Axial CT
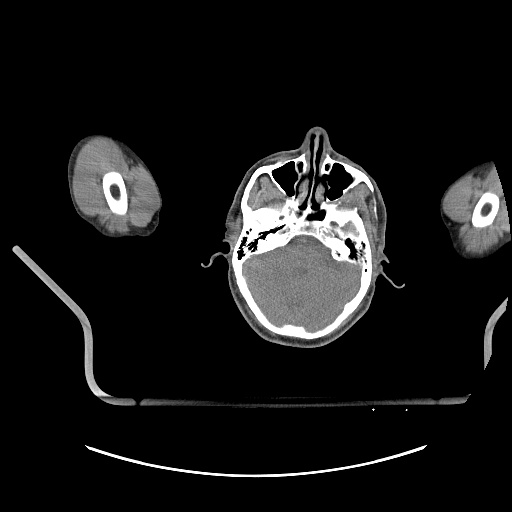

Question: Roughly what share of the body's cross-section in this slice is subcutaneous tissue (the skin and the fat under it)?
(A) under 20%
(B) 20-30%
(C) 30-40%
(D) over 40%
Answer: (A) under 20%
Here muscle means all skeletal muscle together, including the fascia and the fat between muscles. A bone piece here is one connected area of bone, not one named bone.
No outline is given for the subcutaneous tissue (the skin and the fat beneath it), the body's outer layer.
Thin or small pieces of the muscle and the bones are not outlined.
{"left_arm":[[[487,160],[493,161],[495,169],[497,171],[500,179],[501,188],[505,199],[505,205],[508,212],[509,233],[511,236],[511,239],[508,243],[486,259],[479,261],[465,260],[458,256],[452,247],[448,230],[440,215],[440,199],[446,187],[454,179],[472,166]]],"bones":[{"outer":[[317,134],[320,138],[315,158],[317,164],[322,153],[323,144],[333,158],[364,172],[374,188],[372,192],[364,182],[360,182],[346,193],[339,205],[347,208],[357,207],[368,234],[372,272],[371,281],[364,297],[357,307],[333,331],[321,337],[304,339],[277,334],[259,322],[239,291],[231,259],[234,244],[243,226],[243,215],[240,207],[241,198],[253,172],[262,165],[296,157],[309,146],[311,153],[313,151],[314,137]],"holes":[[[298,236],[314,238],[329,250],[334,260],[358,265],[360,268],[359,285],[353,296],[343,304],[341,310],[331,321],[313,330],[307,329],[302,324],[291,322],[276,324],[273,322],[257,303],[248,285],[243,269],[244,262],[252,256],[283,247]],[[263,174],[266,174],[268,175],[272,183],[285,197],[282,204],[280,206],[270,206],[269,205],[265,205],[264,206],[260,206],[256,208],[252,208],[248,204],[248,198],[250,194],[250,191],[254,183],[256,181],[257,178],[259,176]],[[335,164],[337,164],[341,166],[343,170],[349,175],[349,176],[351,178],[351,181],[342,189],[341,193],[339,196],[331,199],[326,194],[331,186],[328,180],[327,179],[324,179],[324,176],[329,176],[330,175],[331,171],[333,168],[333,166]],[[290,162],[292,162],[293,163],[293,170],[295,172],[296,177],[295,178],[295,180],[292,184],[293,193],[290,195],[288,195],[286,190],[282,187],[282,186],[275,178],[273,174],[273,172],[275,170],[277,170],[279,168],[282,167],[284,165]],[[348,240],[349,240],[350,241],[350,242],[351,243],[351,244],[353,246],[353,247],[355,250],[355,255],[352,257],[351,257],[350,256],[352,253],[351,252],[351,249],[347,243],[347,241]],[[321,211],[323,211],[323,216],[321,218],[310,218],[309,217],[309,216],[310,215],[315,215],[316,214],[317,214],[319,212],[320,212]]]},[[109,171],[117,171],[119,172],[121,174],[122,178],[124,181],[124,184],[125,185],[125,188],[127,193],[127,211],[126,213],[123,215],[115,214],[110,210],[110,208],[107,203],[107,201],[105,198],[105,196],[103,192],[102,177],[106,172],[108,172]],[[486,191],[490,191],[498,195],[499,199],[500,200],[499,201],[499,207],[498,208],[497,213],[493,221],[489,225],[485,227],[482,227],[481,228],[474,227],[471,223],[471,217],[472,216],[473,209],[476,203],[478,201],[479,198],[481,196],[481,195]]],"brain":[[[298,236],[314,238],[329,250],[334,260],[358,265],[360,268],[359,285],[353,296],[343,304],[341,310],[331,321],[313,330],[307,329],[302,324],[291,322],[276,324],[273,322],[257,303],[248,285],[243,269],[244,262],[252,256],[283,247]]],"muscle":[{"outer":[[95,137],[103,137],[110,139],[115,142],[140,163],[149,174],[158,195],[159,205],[150,223],[144,228],[140,228],[123,233],[110,232],[103,226],[84,214],[80,210],[75,200],[73,192],[72,178],[73,177],[74,164],[77,154],[82,145],[91,138]],"hole":[[109,171],[117,171],[119,172],[121,174],[122,178],[124,181],[124,184],[125,185],[125,188],[127,193],[127,211],[126,213],[123,215],[115,214],[110,210],[110,208],[107,203],[107,201],[105,198],[105,196],[103,192],[102,177],[106,172],[108,172]]},{"outer":[[493,164],[495,166],[495,170],[499,179],[499,185],[505,199],[509,234],[502,237],[495,245],[486,251],[481,253],[470,253],[467,252],[464,247],[462,246],[454,226],[445,214],[443,210],[443,201],[449,189],[461,178],[471,172],[474,172]],"hole":[[486,191],[490,191],[498,195],[499,199],[500,200],[499,201],[499,207],[498,208],[497,213],[493,221],[489,225],[485,227],[482,227],[481,228],[474,227],[471,223],[471,217],[472,216],[473,209],[476,203],[478,201],[479,198],[481,196],[481,195]]},[[360,183],[364,183],[372,193],[374,192],[375,196],[373,195],[371,198],[372,211],[374,217],[376,219],[378,218],[377,201],[379,211],[379,251],[372,281],[372,249],[369,234],[365,223],[358,211],[357,206],[340,206],[342,200],[347,193]],[[263,174],[266,174],[268,175],[272,183],[285,197],[282,204],[280,206],[270,206],[269,205],[265,205],[264,206],[260,206],[256,208],[252,208],[248,204],[248,198],[250,194],[250,191],[254,183],[256,181],[257,178],[259,176]],[[236,284],[240,295],[254,315],[255,318],[264,328],[280,336],[303,339],[304,340],[313,340],[321,338],[333,332],[358,307],[362,300],[364,298],[364,299],[361,306],[356,312],[354,317],[336,333],[319,341],[294,341],[270,335],[252,320],[239,296]],[[252,172],[243,188],[242,194],[240,198],[239,207],[242,215],[242,226],[239,232],[239,234],[237,236],[234,243],[233,234],[232,233],[232,228],[231,227],[232,225],[233,215],[235,211],[235,208],[237,204],[237,201],[238,200],[242,186]]],"head":[{"outer":[[315,125],[376,181],[390,260],[381,264],[396,284],[405,284],[395,287],[380,274],[367,311],[351,328],[325,345],[298,348],[267,341],[248,325],[231,295],[222,255],[209,267],[200,264],[229,249],[222,241],[225,218],[247,169],[270,153],[297,148]],"holes":[[[335,164],[337,164],[341,166],[343,170],[349,175],[349,176],[351,178],[351,181],[342,189],[341,193],[339,196],[331,199],[326,194],[331,186],[328,180],[327,179],[324,179],[324,176],[329,176],[330,175],[331,171],[333,168],[333,166]],[[290,162],[292,162],[293,163],[293,170],[295,172],[296,177],[295,178],[295,180],[292,184],[293,193],[290,195],[288,195],[286,190],[282,187],[282,186],[275,178],[273,174],[273,172],[275,170],[277,170],[279,168],[282,167],[284,165]],[[320,139],[321,139],[322,140],[322,149],[321,150],[321,153],[320,154],[320,155],[319,156],[319,159],[318,160],[318,162],[317,163],[317,162],[316,161],[316,158],[317,157],[317,151],[318,150],[318,148],[319,147],[319,144],[320,143]],[[348,240],[349,240],[350,241],[350,242],[351,243],[351,244],[353,246],[353,247],[355,250],[355,255],[352,257],[351,257],[350,256],[352,253],[351,252],[351,249],[347,243],[347,241]],[[321,211],[323,211],[323,216],[321,218],[310,218],[309,217],[309,216],[310,215],[315,215],[316,214],[317,214],[319,212],[320,212]]]}],"right_arm":[[[94,132],[102,132],[109,134],[123,141],[145,162],[153,175],[161,194],[162,205],[159,212],[158,225],[151,235],[147,237],[140,236],[129,236],[123,238],[106,237],[99,233],[76,213],[71,201],[68,187],[67,179],[68,159],[76,142],[86,134]]]}